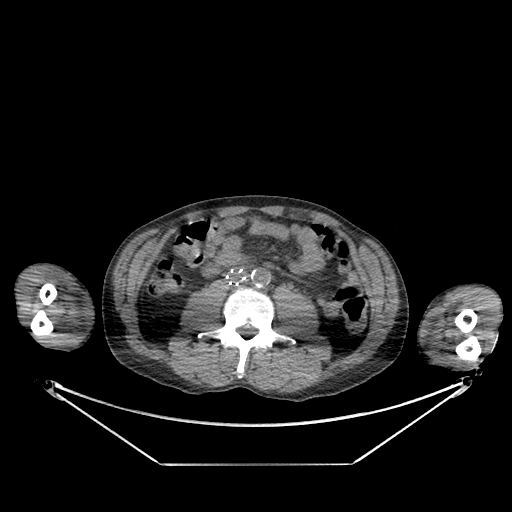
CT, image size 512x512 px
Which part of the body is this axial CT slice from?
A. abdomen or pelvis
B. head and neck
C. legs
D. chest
Answer: A. abdomen or pelvis
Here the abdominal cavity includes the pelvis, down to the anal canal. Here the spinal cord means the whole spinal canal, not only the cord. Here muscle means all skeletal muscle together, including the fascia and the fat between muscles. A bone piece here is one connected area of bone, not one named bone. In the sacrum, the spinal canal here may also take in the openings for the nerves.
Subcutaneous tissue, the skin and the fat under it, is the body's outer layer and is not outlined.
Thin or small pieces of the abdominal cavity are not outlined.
{"muscle":[{"outer":[[238,205],[281,205],[318,211],[354,234],[371,239],[383,250],[393,268],[400,301],[394,323],[370,358],[316,385],[279,393],[240,380],[202,387],[154,359],[129,351],[126,327],[116,309],[112,283],[113,270],[123,249],[138,234],[165,226],[186,213]],"hole":[[248,211],[320,224],[343,238],[371,299],[369,329],[350,353],[333,357],[313,300],[282,281],[271,293],[271,326],[295,343],[252,348],[241,378],[235,347],[197,336],[224,324],[225,278],[190,294],[165,347],[144,338],[138,293],[167,239],[190,221]]},{"outer":[[467,285],[474,285],[490,289],[497,295],[499,299],[500,317],[494,329],[494,339],[492,344],[484,356],[472,365],[456,367],[435,362],[426,353],[421,342],[420,332],[423,323],[428,318],[430,311],[438,303],[442,301],[443,297],[448,292],[458,287]],"hole":[[463,308],[471,308],[477,314],[477,321],[475,326],[471,331],[471,333],[473,335],[477,336],[478,341],[481,347],[481,353],[475,361],[461,359],[459,358],[455,351],[456,345],[467,337],[467,335],[462,332],[455,325],[454,322],[454,319],[456,315]]},{"outer":[[41,264],[54,266],[67,273],[77,284],[89,304],[90,327],[85,332],[83,339],[76,345],[51,345],[42,342],[36,336],[47,336],[54,329],[53,322],[43,308],[35,311],[29,325],[25,323],[19,311],[17,299],[18,280],[21,274],[28,268]],"hole":[[47,282],[48,282],[49,283],[51,283],[54,285],[54,286],[55,287],[55,288],[57,291],[57,294],[56,295],[56,297],[50,303],[50,304],[49,305],[44,305],[42,303],[42,302],[41,301],[41,300],[39,297],[39,290],[40,289],[41,286]]}],"spinal_cord":[[[240,327],[244,327],[245,328],[249,328],[250,327],[252,327],[253,328],[255,328],[257,330],[257,332],[254,335],[253,335],[252,336],[251,336],[250,337],[249,337],[248,338],[245,338],[243,336],[242,336],[237,331],[237,329],[238,328],[239,328]]],"abdominal_cavity":[[[248,211],[320,224],[343,238],[371,299],[369,329],[350,353],[333,357],[328,338],[317,332],[320,322],[313,300],[282,281],[271,298],[251,286],[231,292],[228,280],[217,278],[190,294],[178,331],[165,347],[144,338],[138,293],[167,239],[190,221]]],"right_arm":[[[40,261],[53,262],[59,264],[69,270],[85,285],[92,297],[95,307],[95,325],[93,331],[89,339],[84,345],[71,352],[42,347],[30,336],[17,320],[16,309],[13,297],[13,283],[14,280],[17,274],[24,267],[34,262],[39,262]]],"torso":[[[246,194],[280,195],[319,203],[370,232],[387,247],[401,272],[409,302],[404,344],[393,363],[365,383],[339,394],[292,402],[267,399],[241,387],[204,395],[185,394],[133,372],[113,356],[103,330],[101,294],[105,271],[122,240],[138,226],[186,204]]],"bones":[{"outer":[[239,287],[251,287],[269,296],[274,304],[272,328],[295,340],[293,344],[290,341],[275,341],[267,349],[252,348],[245,360],[244,375],[241,378],[235,373],[239,361],[235,347],[223,347],[217,338],[197,336],[200,332],[213,330],[224,324],[224,302]],"hole":[[240,327],[244,327],[245,328],[249,328],[250,327],[252,327],[253,328],[255,328],[257,330],[257,332],[254,335],[253,335],[252,336],[251,336],[250,337],[249,337],[248,338],[245,338],[243,336],[242,336],[237,331],[237,329],[238,328],[239,328]]},[[463,308],[471,308],[477,314],[477,321],[475,326],[471,331],[471,333],[473,335],[477,336],[478,341],[481,347],[481,353],[475,361],[461,359],[459,358],[455,351],[456,345],[467,337],[467,335],[462,332],[455,325],[454,322],[454,319],[456,315]],[[39,309],[43,309],[46,312],[46,314],[47,316],[50,319],[53,325],[53,329],[51,333],[47,335],[35,335],[33,333],[30,327],[30,323],[31,322],[31,320],[33,316],[35,314],[36,311]],[[47,282],[48,282],[49,283],[51,283],[54,285],[54,286],[55,287],[55,288],[57,291],[57,294],[56,295],[56,297],[50,303],[50,304],[49,305],[44,305],[42,303],[42,302],[41,301],[41,300],[39,297],[39,290],[40,289],[41,286]]],"left_arm":[[[469,281],[481,282],[489,285],[498,292],[501,298],[504,308],[503,319],[499,327],[498,334],[495,338],[493,349],[479,366],[467,371],[449,371],[439,366],[427,365],[420,358],[416,345],[416,330],[423,312],[429,302],[438,293],[455,284]]]}